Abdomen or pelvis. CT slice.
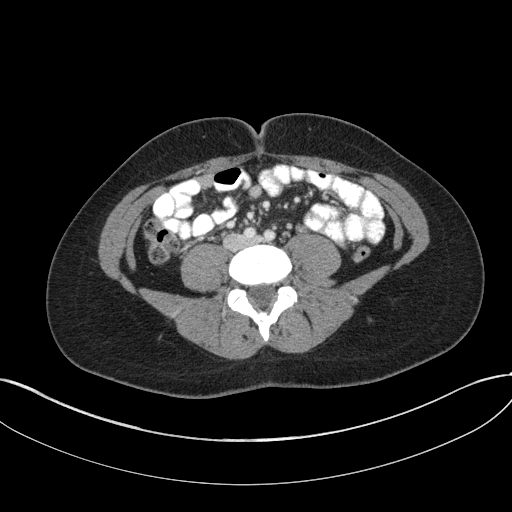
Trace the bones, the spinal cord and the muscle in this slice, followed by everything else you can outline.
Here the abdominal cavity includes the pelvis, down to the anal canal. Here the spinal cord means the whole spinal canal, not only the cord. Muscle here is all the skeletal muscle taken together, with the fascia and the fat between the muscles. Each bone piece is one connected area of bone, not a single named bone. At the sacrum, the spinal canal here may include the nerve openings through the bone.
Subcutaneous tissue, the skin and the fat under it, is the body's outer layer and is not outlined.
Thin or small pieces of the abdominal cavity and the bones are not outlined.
Outlines:
bones: 264 341; 269 338; 270 325; 276 321; 283 310; 291 307; 298 300; 298 295; 292 286; 283 282; 292 268; 287 253; 282 248; 274 245; 255 244; 243 248; 231 257; 228 272; 237 284; 229 291; 226 302; 232 310; 249 316; 256 323; inner edge: 262 309; 266 309; 269 307; 269 304; 271 303; 271 302; 275 298; 275 296; 276 295; 276 288; 275 286; 272 284; 270 284; 269 285; 267 285; 266 284; 260 284; 259 285; 250 286; 247 290; 247 294; 250 301; 256 307; 261 308
spinal cord: 262 309; 266 309; 269 307; 269 304; 271 303; 271 302; 275 298; 275 296; 276 295; 276 288; 275 286; 272 284; 270 284; 269 285; 267 285; 266 284; 260 284; 259 285; 250 286; 247 290; 247 294; 250 301; 256 307; 261 308
muscle: 232 360; 247 358; 266 345; 287 353; 309 351; 351 317; 359 298; 368 289; 416 258; 430 237; 426 218; 409 192; 384 174; 331 159; 264 151; 215 157; 130 190; 110 212; 102 228; 98 245; 100 267; 108 277; 171 321; 181 336 with a hole at 264 341; 298 300; 283 282; 293 235; 323 235; 338 248; 337 283; 387 261; 392 221; 350 176; 252 159; 170 181; 144 211; 134 240; 140 284; 196 294; 180 279; 181 259; 196 243; 219 244; 237 284; 227 305; 249 316
abdominal cavity: 185 295; 196 293; 183 285; 179 266; 183 255; 196 243; 219 244; 230 258; 255 243; 283 248; 298 233; 323 235; 342 257; 333 276; 341 283; 387 261; 392 221; 381 199; 350 176; 268 157; 170 181; 144 211; 134 252; 140 284
torso: 185 399; 264 387; 368 384; 449 351; 472 327; 485 284; 480 245; 463 208; 431 174; 384 140; 329 115; 278 114; 264 120; 258 131; 241 118; 203 117; 150 138; 96 188; 66 227; 49 265; 45 311; 58 349; 79 369; 139 390